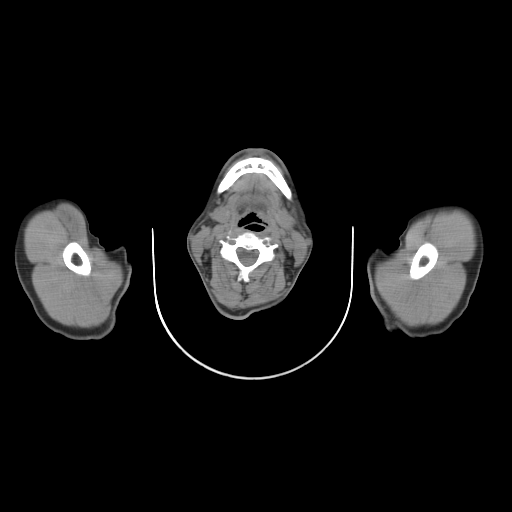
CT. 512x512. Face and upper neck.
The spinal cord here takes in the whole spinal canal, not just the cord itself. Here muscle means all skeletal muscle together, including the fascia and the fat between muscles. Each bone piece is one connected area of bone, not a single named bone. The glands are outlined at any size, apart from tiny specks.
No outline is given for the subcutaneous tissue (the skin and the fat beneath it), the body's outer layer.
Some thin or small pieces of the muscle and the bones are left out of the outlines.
{"bones":[{"outer":[[246,231],[252,231],[260,238],[268,236],[271,238],[272,243],[276,243],[278,245],[274,249],[273,259],[263,262],[253,269],[248,275],[249,281],[247,282],[238,280],[238,267],[233,262],[224,259],[221,256],[221,244],[219,242],[228,234],[234,238]],"hole":[[237,248],[242,248],[247,251],[250,251],[251,250],[257,250],[258,251],[258,255],[257,256],[257,257],[256,258],[255,261],[252,264],[251,264],[250,265],[244,265],[240,261],[240,260],[238,257],[238,255],[237,254],[237,252],[236,251]]},[[246,157],[263,157],[264,158],[270,159],[280,170],[283,177],[289,186],[292,192],[292,198],[291,200],[289,200],[286,198],[269,177],[264,173],[261,173],[260,172],[248,172],[241,175],[227,189],[218,194],[216,192],[217,186],[229,168],[237,160]],[[424,242],[429,242],[433,244],[436,247],[438,251],[438,256],[437,257],[437,260],[434,266],[425,275],[418,279],[411,279],[409,277],[409,269],[410,268],[410,263],[411,262],[411,260],[419,246],[420,246]],[[71,241],[75,241],[77,242],[86,252],[90,260],[90,263],[91,264],[91,271],[89,275],[87,276],[84,276],[83,275],[80,275],[79,274],[75,273],[73,271],[69,269],[64,263],[63,257],[62,256],[62,252],[63,251],[64,247],[69,242]]],"submandibular_glands":[[[218,205],[225,205],[226,206],[227,206],[227,207],[229,209],[229,217],[228,218],[227,221],[226,221],[223,223],[220,223],[217,221],[215,221],[213,219],[212,219],[212,218],[210,215],[210,214],[211,213],[212,210],[216,206],[217,206]],[[281,208],[285,208],[288,211],[289,211],[291,213],[291,214],[293,217],[293,220],[294,221],[293,222],[293,224],[291,226],[291,227],[288,227],[287,228],[286,227],[282,227],[278,223],[278,222],[276,220],[276,212],[278,210],[279,210]]],"muscle":[{"outer":[[248,173],[264,174],[289,201],[292,200],[293,194],[298,218],[309,239],[309,244],[303,261],[291,274],[283,295],[267,303],[232,310],[218,302],[214,296],[206,272],[193,255],[190,238],[210,209],[210,204],[215,192],[218,195],[221,194],[241,176]],"hole":[[249,214],[259,218],[258,223],[263,227],[252,231],[260,238],[270,237],[271,242],[278,245],[274,249],[273,259],[253,269],[248,275],[249,281],[245,282],[238,280],[238,267],[221,256],[219,241],[228,234],[234,238],[250,231],[245,225],[239,224]]},{"outer":[[60,202],[67,202],[75,206],[81,212],[85,221],[89,240],[94,242],[112,259],[119,261],[123,268],[123,281],[111,300],[109,314],[107,318],[97,327],[70,327],[51,318],[43,308],[34,290],[31,277],[26,268],[23,234],[28,220],[36,212]],"hole":[[71,241],[75,241],[77,242],[86,252],[90,260],[90,263],[91,264],[91,271],[89,275],[87,276],[84,276],[83,275],[80,275],[79,274],[75,273],[73,271],[69,269],[64,263],[63,257],[62,256],[62,252],[63,251],[64,247],[69,242]]},{"outer":[[444,208],[457,208],[463,210],[471,217],[475,226],[477,245],[475,253],[472,258],[470,274],[458,304],[443,321],[431,326],[409,327],[400,323],[378,293],[374,279],[375,264],[376,262],[384,260],[391,256],[404,246],[406,233],[415,219],[428,212]],"hole":[[424,242],[429,242],[433,244],[436,247],[438,251],[438,256],[437,257],[437,260],[434,266],[425,275],[418,279],[411,279],[409,277],[409,269],[410,268],[410,263],[411,262],[411,260],[419,246],[420,246]]},[[250,152],[260,152],[266,154],[271,157],[282,168],[284,172],[284,175],[288,182],[288,184],[281,170],[275,164],[275,163],[270,158],[264,157],[263,156],[246,156],[242,158],[239,158],[228,168],[223,176],[225,170],[233,161],[242,155]]],"right_arm":[[[60,196],[70,198],[79,204],[87,216],[91,232],[99,238],[100,243],[107,249],[124,245],[132,264],[130,283],[117,308],[115,324],[109,334],[98,340],[74,340],[46,327],[35,314],[30,301],[21,287],[15,270],[13,250],[20,220],[35,205]]],"left_arm":[[[442,202],[456,202],[467,206],[475,213],[481,223],[485,245],[475,289],[462,315],[443,333],[422,338],[411,338],[401,332],[390,333],[384,326],[369,293],[366,269],[368,253],[376,246],[387,252],[395,248],[407,220],[414,213],[424,207]]],"spinal_cord":[[[237,248],[242,248],[247,251],[250,251],[251,250],[257,250],[258,251],[258,255],[257,256],[257,257],[256,258],[255,261],[252,264],[251,264],[250,265],[244,265],[240,261],[240,260],[238,257],[238,255],[237,254],[237,252],[236,251]]],"head_and_neck":[{"outer":[[248,147],[262,147],[273,151],[281,158],[288,168],[299,192],[307,222],[313,235],[313,248],[293,288],[283,302],[270,309],[258,311],[244,319],[237,320],[221,315],[213,306],[188,255],[186,236],[191,224],[202,210],[212,183],[222,165],[232,154]],"hole":[[249,214],[254,214],[258,218],[259,218],[259,219],[260,220],[258,223],[263,227],[263,228],[262,229],[261,229],[260,230],[251,230],[250,229],[248,229],[245,225],[240,225],[239,224],[239,222],[240,221],[240,220],[242,218],[247,216]]}]}